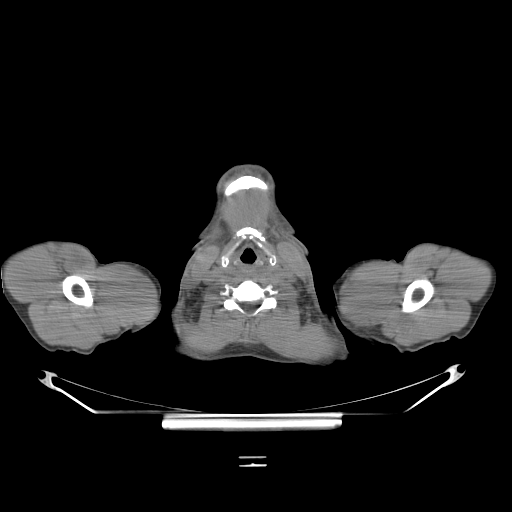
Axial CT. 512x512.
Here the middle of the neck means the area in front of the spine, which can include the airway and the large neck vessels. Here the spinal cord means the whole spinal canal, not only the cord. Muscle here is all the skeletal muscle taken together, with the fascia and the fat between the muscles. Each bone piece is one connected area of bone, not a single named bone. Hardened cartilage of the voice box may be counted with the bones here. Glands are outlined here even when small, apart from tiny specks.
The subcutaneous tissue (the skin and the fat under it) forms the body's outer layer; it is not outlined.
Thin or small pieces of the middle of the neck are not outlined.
The bones appear in 6 outlined pieces: piece 1: 245 279; 252 279; 262 286; 271 284; 272 287; 278 291; 274 295; 277 302; 276 306; 274 308; 262 310; 251 318; 247 317; 236 309; 225 309; 223 306; 223 301; 226 297; 221 295; 220 291; 224 289; 224 285; 226 283; 236 286, around a hole outlined by 259 300; 260 301; 260 303; 258 305; 258 306; 252 312; 250 312; 249 313; 248 312; 247 312; 246 311; 245 311; 243 309; 243 308; 240 305; 240 304; 239 303; 241 303; 242 302; 253 302; 254 301; 258 301; piece 2: 417 278; 427 278; 433 284; 434 286; 434 293; 431 297; 431 298; 423 306; 422 306; 417 310; 413 312; 411 312; 410 313; 405 313; 404 312; 402 312; 401 311; 401 301; 403 298; 403 292; 405 290; 406 287; 413 280; piece 3: 71 274; 78 274; 79 275; 81 275; 88 283; 89 286; 91 288; 93 292; 93 298; 94 299; 93 305; 91 307; 87 308; 81 305; 75 304; 73 302; 69 300; 62 292; 62 287; 61 286; 61 282; 62 280; 66 276; 70 275; piece 4: 242 175; 252 175; 253 176; 255 176; 256 177; 258 177; 262 179; 268 185; 269 189; 267 191; 263 191; 258 188; 252 187; 251 188; 248 188; 247 189; 240 189; 234 192; 229 196; 225 196; 223 194; 223 190; 225 186; 230 181; piece 5: 247 226; 257 229; 261 232; 262 235; 265 238; 266 240; 265 246; 276 257; 276 263; 273 266; 269 262; 269 256; 257 244; 257 242; 259 240; 257 238; 255 237; 251 239; 247 237; 242 239; 239 236; 234 237; 235 232; 237 230; piece 6: 238 241; 239 241; 239 243; 238 245; 233 250; 233 251; 229 255; 228 257; 229 259; 229 262; 227 266; 226 267; 222 267; 221 265; 221 256; 225 254; 226 252; 235 243; 236 243. The muscle appears in 3 outlined pieces: piece 1: 244 168; 257 170; 265 176; 271 184; 271 196; 275 211; 287 228; 289 234; 301 249; 307 268; 310 270; 310 289; 312 295; 329 327; 341 341; 341 350; 333 355; 317 360; 291 358; 282 356; 262 344; 253 344; 247 346; 231 343; 216 352; 207 354; 194 353; 187 351; 182 347; 178 319; 187 268; 195 252; 203 243; 207 232; 216 219; 221 198; 220 188; 222 183; 234 172 with holes at 247 226; 255 228; 261 232; 262 235; 266 240; 265 246; 276 257; 276 263; 268 271; 260 271; 253 274; 244 274; 243 273; 228 271; 227 269; 222 267; 221 265; 221 256; 226 253; 237 239; 236 237; 234 237; 235 232; 237 230 and at 245 279; 252 279; 262 286; 271 284; 272 287; 278 291; 274 295; 277 302; 276 306; 274 308; 262 310; 251 318; 247 317; 236 309; 225 309; 223 306; 223 301; 226 297; 221 295; 220 291; 224 289; 224 285; 226 283; 236 286 and at 242 175; 252 175; 253 176; 255 176; 256 177; 258 177; 262 179; 268 185; 269 189; 267 191; 263 191; 258 188; 252 187; 251 188; 248 188; 247 189; 240 189; 234 192; 229 196; 225 196; 223 194; 223 190; 225 186; 230 181; piece 2: 49 244; 79 246; 85 249; 99 266; 115 263; 136 266; 151 279; 157 290; 157 309; 154 315; 141 325; 121 327; 116 333; 105 335; 100 341; 86 349; 46 343; 36 333; 25 306; 9 292; 5 282; 5 269; 9 261; 14 257; inner edge: 71 274; 78 274; 79 275; 81 275; 88 283; 89 286; 91 288; 93 292; 93 298; 94 299; 93 305; 91 307; 87 308; 81 305; 75 304; 73 302; 69 300; 62 292; 62 287; 61 286; 61 282; 62 280; 66 276; 70 275; piece 3: 424 244; 432 244; 457 251; 485 263; 491 270; 492 277; 490 285; 485 294; 472 304; 470 318; 464 327; 436 339; 429 339; 411 345; 401 345; 377 329; 356 326; 344 318; 339 307; 339 290; 352 269; 370 261; 401 264; 414 248, around a hole outlined by 417 278; 427 278; 433 284; 434 286; 434 293; 431 297; 431 298; 423 306; 422 306; 417 310; 413 312; 411 312; 410 313; 405 313; 404 312; 402 312; 401 311; 401 301; 403 298; 403 292; 405 290; 406 287; 413 280. The right arm is outlined by 50 239; 79 242; 87 246; 101 262; 130 260; 147 267; 161 284; 162 307; 157 319; 140 331; 135 333; 127 331; 118 338; 99 345; 89 355; 60 350; 52 352; 41 347; 31 337; 4 296; 2 264; 4 257; 10 252; 35 242. The left arm is outlined by 423 241; 453 245; 483 256; 494 264; 497 271; 496 286; 474 327; 463 338; 452 337; 445 342; 429 345; 415 352; 402 353; 391 345; 372 345; 354 337; 339 322; 334 307; 332 282; 347 266; 358 260; 371 257; 400 260; 410 247. The submandibular glands are outlined by 215 228; 216 228; 217 228; 218 228; 219 228; 220 229; 220 230; 220 231; 219 232; 218 233; 217 233; 216 233; 215 233; 214 233; 213 233; 212 232; 212 231; 213 230; 214 229. The middle of the neck is outlined by 239 237; 242 240; 247 238; 251 240; 255 238; 257 239; 258 240; 256 244; 268 256; 268 262; 273 267; 268 271; 260 271; 253 274; 232 272; 224 268; 228 266; 230 262; 229 258; 230 255; 240 243; 239 240; 234 243; 237 238. The head and neck is outlined by 242 163; 260 164; 274 177; 278 205; 309 251; 318 301; 334 316; 345 338; 351 354; 347 360; 322 367; 278 363; 251 356; 196 363; 173 355; 168 348; 172 336; 170 310; 178 294; 180 278; 190 249; 212 214; 216 182; 228 168. The spinal cord is outlined by 259 300; 260 301; 260 303; 258 305; 258 306; 252 312; 250 312; 249 313; 248 312; 247 312; 246 311; 245 311; 243 309; 243 308; 240 305; 240 304; 239 303; 241 303; 242 302; 253 302; 254 301; 258 301.